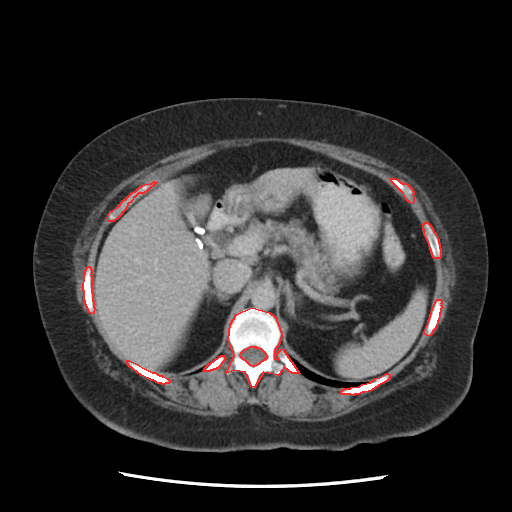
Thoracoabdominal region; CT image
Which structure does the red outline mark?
red: bones.
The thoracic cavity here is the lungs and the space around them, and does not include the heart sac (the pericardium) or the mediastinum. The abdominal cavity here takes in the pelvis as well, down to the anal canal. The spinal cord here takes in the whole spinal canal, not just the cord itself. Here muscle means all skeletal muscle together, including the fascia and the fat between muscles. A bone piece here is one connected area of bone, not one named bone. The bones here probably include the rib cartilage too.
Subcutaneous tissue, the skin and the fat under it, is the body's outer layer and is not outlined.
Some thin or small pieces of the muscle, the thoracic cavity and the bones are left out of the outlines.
{"bones":[{"outer":[[251,307],[269,312],[275,317],[281,334],[279,343],[274,350],[274,358],[278,359],[277,353],[282,348],[299,373],[292,373],[284,367],[278,375],[263,372],[254,387],[251,386],[245,372],[233,370],[226,373],[234,355],[228,339],[230,324],[236,314]],"hole":[[250,346],[255,346],[256,347],[258,347],[260,348],[265,353],[266,355],[266,358],[265,359],[264,359],[258,364],[254,366],[252,366],[250,365],[245,360],[244,360],[241,357],[240,355],[241,352],[244,349]]},[[154,181],[156,182],[147,190],[143,193],[138,193],[134,197],[133,197],[131,201],[127,204],[125,209],[117,218],[113,221],[108,221],[107,217],[110,211],[117,207],[124,199],[125,199],[132,192],[135,191],[139,187],[144,184],[151,183]],[[386,373],[389,374],[389,378],[386,381],[378,385],[371,390],[365,392],[362,392],[358,394],[354,394],[353,395],[350,394],[342,394],[341,393],[341,391],[344,388],[350,388],[351,387],[359,386],[362,384],[370,382],[375,378],[379,377]],[[88,266],[89,266],[91,269],[91,273],[90,274],[91,275],[91,291],[92,292],[92,300],[93,301],[93,306],[94,307],[93,313],[92,314],[88,311],[88,309],[85,304],[85,301],[84,300],[84,291],[83,290],[84,274],[85,273],[85,270]],[[425,222],[427,222],[431,226],[433,231],[435,233],[438,239],[438,242],[439,243],[439,247],[440,248],[440,257],[439,258],[434,258],[432,255],[432,253],[431,252],[431,250],[430,249],[428,241],[424,234],[424,230],[423,229],[423,224]],[[127,360],[129,360],[152,372],[154,372],[159,375],[161,375],[162,376],[167,378],[169,380],[169,382],[168,383],[165,383],[164,384],[162,384],[161,383],[158,383],[153,380],[151,380],[150,379],[141,375],[128,365],[128,364],[127,363]],[[437,299],[440,299],[441,301],[441,303],[440,304],[441,305],[441,308],[440,309],[440,312],[439,313],[439,316],[437,320],[436,326],[431,333],[431,334],[428,336],[424,333],[424,331],[428,323],[428,320],[430,317],[430,314],[431,313],[432,308]],[[391,178],[395,178],[397,179],[400,182],[402,183],[406,183],[409,186],[410,186],[410,187],[413,191],[413,194],[412,195],[413,197],[413,201],[412,203],[409,202],[406,199],[403,193],[390,180]],[[221,355],[223,355],[225,358],[224,359],[224,360],[217,368],[216,368],[215,369],[213,369],[212,370],[210,370],[209,371],[204,371],[203,370],[204,369],[204,368],[209,363],[210,363],[212,361],[213,361],[216,358],[217,358],[219,356],[220,356]]],"spinal_cord":[[[250,346],[255,346],[256,347],[258,347],[260,348],[265,353],[266,355],[266,358],[265,359],[264,359],[258,364],[254,366],[252,366],[250,365],[245,360],[244,360],[241,357],[240,355],[241,352],[244,349]]],"muscle":[{"outer":[[272,136],[296,137],[318,141],[325,140],[328,143],[344,146],[366,154],[369,154],[381,159],[386,163],[407,174],[424,190],[430,199],[432,205],[447,233],[455,266],[455,284],[451,290],[451,301],[448,304],[445,317],[435,334],[436,339],[434,349],[437,354],[436,367],[431,376],[428,376],[419,381],[398,389],[378,400],[368,403],[348,413],[324,421],[311,421],[310,422],[308,421],[288,421],[264,410],[257,405],[242,406],[239,408],[238,410],[239,412],[232,416],[216,417],[215,416],[198,415],[188,412],[179,412],[154,404],[147,397],[144,397],[138,393],[133,393],[129,387],[102,372],[94,359],[92,352],[92,346],[89,340],[90,335],[87,333],[86,330],[87,328],[85,321],[86,316],[82,311],[81,306],[77,302],[75,288],[76,283],[73,279],[74,268],[72,263],[73,262],[72,261],[73,257],[72,251],[77,237],[80,234],[87,218],[92,210],[116,185],[123,179],[125,179],[132,174],[143,169],[157,160],[175,152],[201,144],[212,142],[215,140],[245,138],[246,137],[271,137]],"holes":[[[260,142],[283,142],[319,152],[375,175],[403,198],[403,193],[390,179],[406,183],[413,191],[413,201],[409,203],[412,211],[422,226],[425,222],[431,226],[438,239],[440,257],[433,259],[435,288],[432,299],[433,306],[437,299],[441,301],[436,326],[430,335],[423,333],[413,349],[388,372],[389,378],[371,390],[342,394],[343,387],[315,381],[284,367],[278,375],[261,373],[252,387],[245,372],[226,373],[234,355],[227,338],[221,350],[225,358],[217,368],[166,376],[168,383],[158,383],[128,365],[128,359],[106,334],[96,308],[92,314],[88,311],[84,300],[84,274],[88,266],[93,274],[100,242],[113,222],[107,219],[110,211],[144,184],[160,182],[220,150]],[[252,397],[253,397],[254,397],[255,398],[256,399],[256,400],[257,401],[257,402],[256,402],[255,403],[254,403],[253,403],[252,403],[251,403],[250,403],[249,403],[249,402],[248,401],[248,400],[249,399],[250,398],[251,398]]]},[[138,194],[141,194],[139,196],[138,196],[137,197],[137,198],[136,198],[127,207],[127,206],[128,205],[128,204],[129,204],[130,203],[130,202],[131,202],[132,201],[132,200],[133,199],[133,198],[134,198]]],"torso":[[[214,97],[298,99],[371,112],[420,133],[463,170],[475,191],[484,221],[488,289],[473,343],[469,391],[443,423],[419,434],[362,443],[343,450],[183,451],[110,429],[71,394],[46,338],[32,277],[34,238],[50,191],[77,151],[109,127],[158,107]]],"thoracic_cavity":[[[290,358],[295,360],[311,372],[313,372],[315,374],[317,374],[319,376],[321,376],[324,378],[339,382],[349,382],[350,383],[360,382],[361,383],[364,383],[350,387],[339,387],[338,386],[328,385],[324,383],[315,381],[312,379],[310,379],[301,373]]],"abdominal_cavity":[[[260,142],[303,147],[375,175],[409,203],[421,224],[435,266],[431,310],[413,349],[388,372],[367,382],[319,375],[278,345],[276,317],[251,306],[233,316],[221,354],[184,375],[164,376],[128,359],[106,334],[92,275],[109,226],[172,174],[220,150]]]}